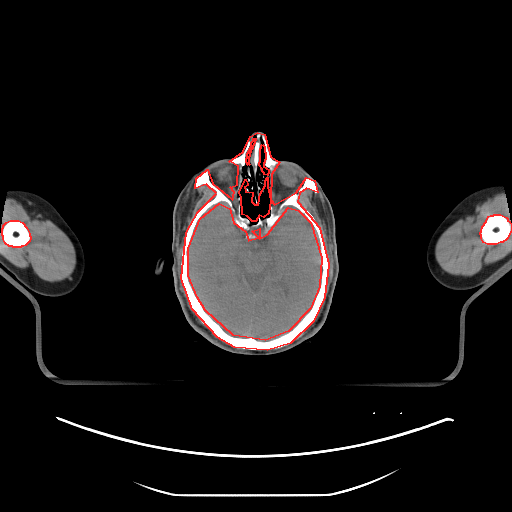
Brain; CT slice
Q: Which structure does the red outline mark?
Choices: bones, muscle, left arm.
A: red: bones.
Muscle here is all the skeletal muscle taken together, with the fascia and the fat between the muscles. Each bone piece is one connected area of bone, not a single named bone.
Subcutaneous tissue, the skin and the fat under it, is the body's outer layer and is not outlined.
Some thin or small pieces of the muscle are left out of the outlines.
{"bones":[{"outer":[[257,132],[264,134],[270,156],[279,162],[271,174],[270,199],[274,204],[296,192],[306,177],[314,180],[317,192],[306,188],[299,193],[297,201],[319,227],[328,264],[324,297],[313,321],[290,343],[267,350],[234,347],[217,337],[192,309],[181,278],[186,232],[198,211],[216,193],[206,184],[195,188],[196,178],[207,169],[212,183],[232,199],[234,192],[230,187],[237,184],[238,166],[229,161],[243,151],[250,136]],"holes":[[[219,203],[229,208],[233,222],[245,231],[248,240],[258,237],[252,231],[259,228],[259,238],[267,234],[288,207],[298,210],[310,222],[321,257],[319,286],[310,308],[288,331],[265,340],[233,335],[205,310],[197,297],[188,275],[188,248],[200,218]],[[267,177],[267,186],[270,200],[268,213],[263,217],[259,215],[255,221],[252,221],[247,216],[242,214],[241,197],[239,192],[245,179],[247,183],[247,185],[244,187],[245,191],[252,192],[251,201],[254,204],[258,204],[260,193],[265,185],[265,180]],[[262,144],[264,146],[264,151],[265,152],[265,159],[264,160],[264,162],[263,163],[263,166],[268,169],[268,173],[267,174],[267,175],[264,174],[264,173],[262,171],[262,169],[259,165],[259,162],[260,161],[260,148],[261,147],[261,145]],[[253,138],[255,138],[255,140],[254,141],[254,143],[252,146],[252,148],[250,150],[250,152],[249,153],[249,156],[248,157],[248,163],[249,164],[248,165],[246,162],[246,158],[247,157],[247,153],[248,152],[248,151],[251,146],[251,142],[253,140]]]},[[494,214],[500,214],[506,217],[507,218],[507,220],[509,221],[511,225],[511,230],[506,239],[502,242],[500,242],[496,244],[487,244],[483,242],[481,238],[481,235],[480,234],[480,232],[481,231],[482,226],[486,221],[488,216],[490,215],[493,215]],[[10,220],[18,220],[22,222],[26,227],[29,233],[29,235],[30,236],[30,239],[29,241],[25,245],[23,246],[21,246],[20,247],[13,247],[12,246],[9,246],[5,243],[3,239],[3,236],[2,235],[2,228],[3,227],[3,225],[6,222]]],"left_arm":[[[496,184],[501,184],[503,186],[507,207],[509,215],[511,218],[511,264],[477,287],[474,287],[466,290],[453,290],[449,289],[441,285],[436,281],[431,275],[428,269],[426,262],[426,250],[431,235],[437,226],[448,213],[463,198],[470,193],[480,188]]],"head":[{"outer":[[254,131],[264,134],[268,152],[274,160],[299,164],[321,185],[334,214],[339,265],[331,305],[321,328],[309,341],[269,356],[232,354],[210,343],[184,316],[174,290],[173,261],[155,273],[158,258],[171,254],[172,212],[190,176],[214,160],[239,155]],"holes":[[[267,177],[267,186],[270,200],[268,213],[263,217],[259,215],[255,221],[252,221],[247,216],[242,214],[241,197],[239,192],[245,179],[247,183],[247,185],[244,187],[245,191],[252,192],[251,201],[254,204],[258,204],[260,193],[265,185],[265,180]],[[262,144],[264,146],[264,151],[265,152],[265,159],[264,160],[264,162],[263,163],[263,166],[268,169],[268,173],[267,174],[267,175],[264,174],[264,173],[262,171],[262,169],[259,165],[259,162],[260,161],[260,148],[261,147],[261,145]],[[253,138],[255,138],[255,140],[254,141],[254,143],[252,146],[252,148],[250,150],[250,152],[249,153],[249,156],[248,157],[248,163],[249,164],[248,165],[246,162],[246,158],[247,157],[247,153],[248,152],[248,151],[251,146],[251,142],[253,140]]]}],"right_arm":[[[15,189],[30,191],[45,198],[54,206],[77,236],[83,249],[85,265],[83,276],[79,284],[71,292],[65,295],[55,297],[45,296],[36,292],[33,292],[0,265],[0,224],[3,217],[3,209],[4,204],[6,201],[6,194],[9,190],[14,190]]],"brain":[[[219,203],[229,208],[233,222],[245,231],[248,240],[258,237],[252,231],[259,228],[259,238],[267,234],[288,207],[298,210],[310,222],[321,257],[319,286],[310,308],[288,331],[265,340],[233,335],[205,310],[197,297],[188,275],[188,248],[200,218]]],"muscle":[{"outer":[[9,197],[14,198],[22,202],[34,209],[46,218],[51,220],[70,239],[76,253],[76,266],[69,278],[58,282],[47,282],[16,267],[2,255],[0,255],[0,224],[3,217],[4,204],[6,201],[6,198]],"hole":[[10,220],[18,220],[22,222],[26,227],[29,233],[29,235],[30,236],[30,239],[29,241],[25,245],[23,246],[21,246],[20,247],[13,247],[12,246],[9,246],[5,243],[3,239],[3,236],[2,235],[2,228],[3,227],[3,225],[6,222]]},[[503,192],[505,194],[511,224],[508,218],[500,213],[490,214],[481,226],[479,234],[484,244],[496,245],[505,241],[511,231],[511,253],[487,269],[482,270],[472,276],[452,275],[443,271],[436,262],[434,254],[435,245],[441,234],[475,204],[497,193]],[[192,182],[195,189],[201,185],[206,185],[215,193],[210,200],[201,206],[188,226],[185,232],[180,256],[180,278],[183,290],[191,309],[201,323],[196,319],[187,304],[186,299],[180,289],[179,277],[177,273],[176,252],[178,242],[178,215],[183,197]],[[306,189],[310,189],[314,193],[317,193],[318,190],[324,200],[332,244],[333,275],[322,310],[319,316],[306,333],[302,337],[295,340],[303,334],[317,316],[325,297],[329,274],[328,253],[326,243],[320,227],[314,216],[298,201],[300,193],[302,193]]]}